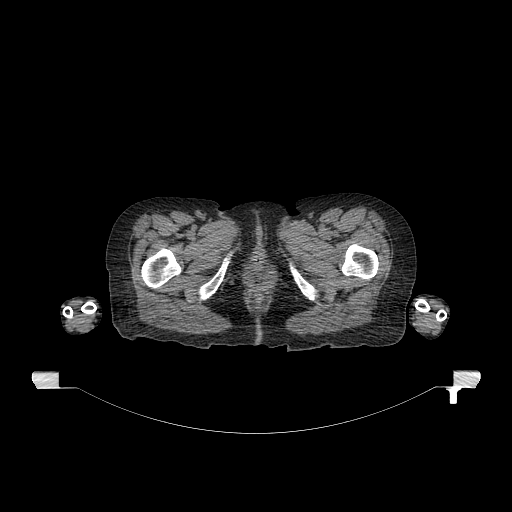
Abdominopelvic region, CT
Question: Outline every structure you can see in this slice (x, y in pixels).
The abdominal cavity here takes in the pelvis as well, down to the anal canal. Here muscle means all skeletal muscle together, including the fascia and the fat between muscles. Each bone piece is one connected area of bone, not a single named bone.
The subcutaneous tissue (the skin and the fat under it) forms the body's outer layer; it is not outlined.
Answer: {"muscle":[{"outer":[[360,205],[374,210],[385,221],[393,247],[392,266],[385,284],[380,290],[374,320],[359,327],[318,335],[300,335],[284,329],[286,319],[297,313],[302,307],[295,286],[280,259],[276,244],[277,226],[281,222],[289,220],[311,221],[319,213],[329,208]],"holes":[[[353,243],[356,243],[367,248],[370,248],[377,254],[378,261],[379,262],[377,273],[372,278],[368,280],[363,279],[358,276],[353,276],[352,275],[347,276],[343,274],[341,271],[340,267],[344,261],[344,254],[345,253],[345,251],[346,249]],[[290,260],[292,261],[292,262],[294,264],[294,265],[296,267],[298,271],[301,274],[301,275],[316,288],[317,290],[317,296],[314,300],[312,301],[311,300],[309,300],[305,296],[304,296],[300,291],[299,288],[294,281],[294,279],[289,269],[288,263]]]},{"outer":[[161,210],[187,212],[196,219],[223,219],[228,217],[240,227],[240,248],[233,262],[231,275],[223,286],[216,304],[218,310],[229,318],[234,327],[217,333],[190,334],[150,326],[137,318],[135,313],[136,296],[129,279],[128,238],[135,221],[140,215]],"holes":[[[163,247],[170,249],[173,252],[176,258],[176,260],[181,266],[182,270],[178,275],[175,275],[173,276],[160,287],[156,288],[155,289],[152,289],[146,286],[144,284],[141,278],[141,275],[140,274],[141,266],[144,260],[148,256],[153,254],[159,249]],[[230,250],[232,250],[233,251],[233,254],[231,257],[230,262],[226,269],[225,274],[223,277],[223,280],[219,285],[216,292],[209,298],[205,300],[200,300],[199,299],[199,295],[198,294],[198,288],[202,284],[211,278],[220,266],[223,258]]]},{"outer":[[258,248],[261,248],[263,250],[268,261],[270,264],[274,267],[275,270],[278,273],[277,275],[278,285],[274,293],[272,302],[268,309],[265,312],[262,312],[259,314],[254,315],[249,311],[248,308],[243,302],[242,274],[244,272],[247,266],[251,262]],"hole":[[259,288],[261,290],[264,291],[265,293],[269,297],[269,301],[266,307],[262,311],[259,311],[258,312],[256,312],[249,305],[250,303],[250,301],[249,300],[249,297],[250,295],[256,289],[258,289]]},[[425,298],[435,299],[442,303],[446,308],[446,311],[443,308],[440,308],[438,309],[435,313],[435,319],[438,322],[442,322],[440,330],[436,334],[422,332],[415,324],[414,319],[412,317],[414,306],[416,310],[422,313],[426,313],[430,310],[430,305]],[[77,299],[80,299],[85,301],[80,306],[80,310],[83,313],[87,315],[90,315],[97,311],[97,313],[95,316],[95,319],[91,323],[90,326],[80,331],[70,330],[66,326],[65,323],[65,318],[70,319],[73,317],[73,309],[68,304],[70,301]]],"left_arm":[[[420,293],[430,293],[431,294],[435,294],[443,298],[448,303],[450,308],[450,315],[449,316],[447,324],[445,327],[445,329],[438,337],[434,339],[426,339],[424,338],[414,329],[409,322],[407,321],[407,319],[406,318],[406,312],[410,301],[415,296]]],"right_arm":[[[76,295],[91,295],[97,298],[99,300],[101,304],[101,308],[102,309],[102,317],[98,325],[90,331],[86,333],[80,334],[79,335],[71,335],[67,333],[62,327],[62,325],[60,321],[60,313],[61,312],[60,306],[62,302],[64,300]]],"abdominal_cavity":[[[259,288],[261,290],[264,291],[265,293],[269,297],[269,301],[266,307],[262,311],[259,311],[258,312],[256,312],[249,305],[250,303],[250,301],[249,300],[249,297],[250,295],[256,289],[258,289]]],"torso":[[[338,192],[380,198],[404,217],[412,231],[416,278],[405,312],[405,332],[397,343],[301,351],[287,351],[284,345],[201,349],[144,337],[130,340],[113,326],[105,250],[113,223],[131,204],[179,196],[211,199],[227,209],[269,199],[293,215],[297,200]]],"bones":[[[163,247],[170,249],[173,252],[176,258],[176,260],[181,266],[182,270],[178,275],[175,275],[173,276],[160,287],[156,288],[155,289],[152,289],[146,286],[144,284],[141,278],[141,275],[140,274],[141,266],[144,260],[148,256],[153,254],[159,249]],[[353,243],[356,243],[367,248],[370,248],[377,254],[378,261],[379,262],[377,273],[372,278],[368,280],[363,279],[358,276],[353,276],[352,275],[347,276],[343,274],[341,271],[340,267],[344,261],[344,254],[345,253],[345,251],[346,249]],[[230,250],[232,250],[233,251],[233,254],[231,257],[230,262],[226,269],[225,274],[223,277],[223,280],[219,285],[216,292],[209,298],[205,300],[200,300],[199,299],[199,295],[198,294],[198,288],[202,284],[211,278],[220,266],[223,258]],[[290,260],[292,261],[292,262],[294,264],[294,265],[296,267],[298,271],[301,274],[301,275],[316,288],[317,290],[317,296],[314,300],[312,301],[311,300],[309,300],[305,296],[304,296],[300,291],[299,288],[294,281],[294,279],[289,269],[288,263]],[[87,300],[92,300],[96,304],[96,305],[97,306],[97,309],[93,313],[91,313],[90,314],[87,314],[86,313],[85,313],[84,312],[83,312],[81,310],[81,306]],[[418,298],[424,298],[426,300],[426,301],[428,303],[428,304],[429,305],[429,310],[428,311],[427,311],[426,312],[422,312],[421,311],[420,311],[419,310],[418,310],[417,309],[416,309],[416,308],[414,305],[414,303],[416,301],[416,300]],[[440,309],[443,309],[447,313],[447,317],[443,321],[438,321],[436,319],[436,313],[438,311],[438,310],[439,310]],[[67,305],[68,306],[69,306],[72,309],[72,317],[71,317],[70,318],[68,318],[67,317],[65,317],[63,315],[63,314],[62,313],[62,311],[63,310],[63,309],[64,308],[64,307],[65,306],[66,306]]]}